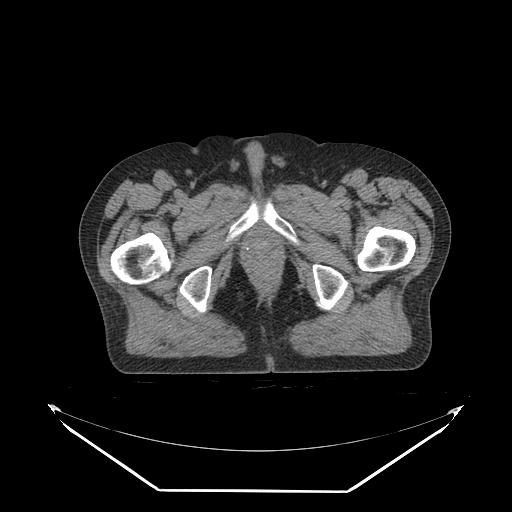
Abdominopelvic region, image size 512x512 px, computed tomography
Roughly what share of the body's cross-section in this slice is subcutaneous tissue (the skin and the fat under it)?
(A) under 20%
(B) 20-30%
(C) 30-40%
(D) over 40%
(C) 30-40%
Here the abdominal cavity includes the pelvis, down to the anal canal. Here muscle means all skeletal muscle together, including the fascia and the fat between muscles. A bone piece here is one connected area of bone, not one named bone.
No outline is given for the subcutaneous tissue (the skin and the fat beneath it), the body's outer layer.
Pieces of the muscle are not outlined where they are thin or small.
The torso is outlined by (277, 131) (320, 143) (357, 142) (392, 151) (415, 164) (439, 192) (450, 216) (451, 243) (430, 298) (432, 347) (426, 361) (415, 369) (390, 371) (118, 371) (107, 355) (101, 312) (78, 245) (80, 218) (96, 186) (116, 163) (158, 144) (195, 145) (210, 135) (242, 137). The bones appear in 5 outlined pieces: piece 1: (147, 232) (152, 232) (158, 236) (167, 249) (168, 256) (172, 261) (170, 270) (168, 272) (166, 272) (162, 274) (159, 277) (144, 284) (129, 284) (120, 280) (111, 269) (111, 267) (110, 266) (110, 256) (111, 255) (111, 253) (115, 248) (127, 240) (133, 239); piece 2: (376, 225) (386, 227) (387, 228) (397, 228) (398, 229) (404, 230) (408, 232) (415, 239) (416, 242) (416, 248) (414, 254) (409, 263) (398, 269) (395, 270) (389, 270) (388, 271) (364, 271) (358, 266) (356, 261) (356, 256) (363, 244) (363, 241) (368, 230); piece 3: (268, 200) (270, 200) (273, 204) (275, 210) (290, 223) (300, 240) (300, 244) (294, 245) (291, 241) (274, 230) (261, 218) (248, 229) (235, 237) (229, 243) (225, 243) (224, 240) (230, 226) (249, 207) (250, 204) (255, 201) (258, 206) (259, 213) (261, 214) (264, 205); piece 4: (314, 263) (318, 263) (323, 265) (328, 265) (333, 267) (335, 269) (338, 270) (348, 281) (347, 288) (345, 290) (343, 295) (338, 300) (331, 310) (323, 310) (316, 305) (316, 301) (318, 299) (318, 296) (315, 288) (314, 278) (313, 277) (313, 272) (312, 271) (312, 265); piece 5: (203, 265) (209, 265) (212, 269) (212, 273) (211, 274) (211, 285) (210, 286) (210, 292) (209, 293) (209, 297) (207, 303) (207, 309) (205, 312) (202, 312) (201, 313) (198, 312) (195, 309) (195, 308) (179, 292) (178, 289) (186, 275) (187, 275) (192, 270). The abdominal cavity is outlined by (256, 228) (263, 228) (271, 231) (277, 239) (282, 252) (282, 259) (279, 266) (277, 278) (273, 284) (273, 287) (268, 292) (261, 291) (251, 277) (250, 274) (248, 273) (248, 270) (244, 267) (245, 266) (242, 262) (240, 255) (240, 248) (243, 239) (251, 230). The muscle is outlined by (369, 166) (408, 178) (434, 213) (431, 261) (403, 296) (413, 336) (406, 351) (306, 357) (291, 349) (292, 327) (317, 315) (317, 307) (331, 311) (349, 285) (338, 269) (318, 262) (311, 265) (315, 305) (292, 263) (284, 265) (271, 300) (259, 298) (244, 270) (232, 266) (213, 311) (245, 333) (241, 354) (160, 358) (125, 351) (126, 311) (98, 272) (96, 245) (103, 208) (129, 175) (162, 168) (188, 190) (221, 180) (249, 191) (290, 181) (325, 190), around holes outlined by (147, 232) (152, 232) (158, 236) (167, 249) (168, 256) (172, 261) (170, 270) (168, 272) (166, 272) (162, 274) (159, 277) (144, 284) (129, 284) (120, 280) (111, 269) (111, 267) (110, 266) (110, 256) (111, 255) (111, 253) (115, 248) (127, 240) (133, 239) and by (376, 225) (386, 227) (387, 228) (397, 228) (398, 229) (404, 230) (408, 232) (415, 239) (416, 242) (416, 248) (414, 254) (409, 263) (398, 269) (395, 270) (389, 270) (388, 271) (364, 271) (358, 266) (356, 261) (356, 256) (363, 244) (363, 241) (368, 230) and by (256, 228) (263, 228) (271, 231) (277, 239) (282, 252) (282, 259) (279, 266) (277, 278) (273, 284) (273, 287) (268, 292) (261, 291) (251, 277) (250, 274) (248, 273) (248, 270) (244, 267) (245, 266) (242, 262) (240, 255) (240, 248) (243, 239) (251, 230) and by (268, 200) (270, 200) (273, 204) (275, 210) (290, 223) (300, 240) (300, 244) (294, 245) (291, 241) (274, 230) (261, 218) (248, 229) (235, 237) (229, 243) (225, 243) (224, 240) (230, 226) (249, 207) (250, 204) (255, 201) (258, 206) (259, 213) (261, 214) (264, 205) and by (203, 265) (209, 265) (212, 269) (212, 273) (211, 274) (211, 285) (210, 286) (210, 292) (209, 293) (209, 297) (207, 303) (207, 309) (205, 312) (202, 312) (201, 313) (198, 312) (195, 309) (195, 308) (179, 292) (178, 289) (186, 275) (187, 275) (192, 270).